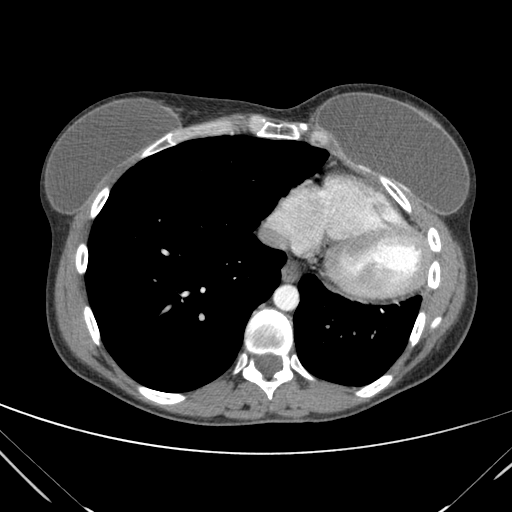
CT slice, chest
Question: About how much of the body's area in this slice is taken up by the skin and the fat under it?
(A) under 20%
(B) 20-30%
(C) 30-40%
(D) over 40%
Answer: (A) under 20%
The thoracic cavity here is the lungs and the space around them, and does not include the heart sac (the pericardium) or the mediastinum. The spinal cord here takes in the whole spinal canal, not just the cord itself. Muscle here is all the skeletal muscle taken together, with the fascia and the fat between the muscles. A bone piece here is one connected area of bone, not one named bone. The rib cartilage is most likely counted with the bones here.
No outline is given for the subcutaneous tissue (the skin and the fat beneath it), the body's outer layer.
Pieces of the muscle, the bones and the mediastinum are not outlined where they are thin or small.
Outlined structures:
bones 1: (270, 400) (274, 390) (283, 382) (290, 380) (295, 372) (310, 381) (315, 381) (316, 377) (303, 366) (293, 348) (294, 341) (292, 322) (275, 309) (264, 308) (253, 311) (247, 322) (244, 331) (242, 350) (237, 356) (232, 373) (236, 374) (240, 371) (245, 379) (257, 384) with a hole at (266, 378) (270, 378) (271, 376) (276, 371) (279, 370) (281, 368) (282, 366) (282, 363) (281, 362) (281, 359) (279, 356) (276, 356) (271, 353) (267, 353) (266, 354) (263, 354) (259, 356) (256, 356) (256, 359) (255, 360) (255, 365) (256, 367) (263, 374) (264, 377)
bones 2: (141, 159) (165, 148) (173, 146) (184, 140) (187, 140) (191, 138) (221, 135) (222, 134) (232, 135) (235, 133) (235, 127) (232, 122) (229, 120) (218, 119) (213, 121) (208, 121) (195, 125) (187, 126) (183, 128) (175, 129) (146, 147) (142, 151) (140, 155)
bones 3: (291, 140) (300, 140) (301, 139) (303, 134) (308, 130) (308, 126) (305, 122) (275, 123) (268, 120) (265, 117) (260, 116) (257, 114) (251, 114) (248, 116) (245, 121) (246, 128) (252, 134) (258, 137) (264, 137) (272, 139) (290, 139)
bones 4: (159, 404) (174, 404) (175, 403) (180, 402) (185, 399) (185, 396) (182, 393) (163, 392) (162, 391) (159, 391) (158, 390) (152, 389) (149, 387) (144, 386) (139, 383) (137, 383) (136, 384) (136, 388) (137, 390) (142, 395) (143, 395) (148, 399) (152, 401) (154, 401)
bones 5: (408, 213) (410, 213) (411, 212) (412, 210) (412, 206) (409, 200) (405, 195) (405, 194) (393, 182) (384, 177) (382, 177) (379, 175) (377, 175) (377, 178) (379, 182) (383, 186) (385, 190) (392, 197) (392, 198) (393, 198) (400, 205) (400, 206) (406, 212)
bones 6: (360, 397) (370, 397) (371, 396) (373, 396) (376, 393) (377, 393) (379, 391) (380, 391) (382, 389) (386, 387) (393, 378) (393, 374) (392, 373) (389, 373) (387, 372) (377, 379) (376, 379) (374, 381) (373, 381) (371, 383) (360, 387) (355, 392) (355, 394)
bones 7: (97, 345) (99, 345) (101, 343) (101, 340) (100, 339) (100, 334) (99, 333) (99, 329) (97, 326) (96, 320) (94, 317) (93, 312) (89, 304) (85, 304) (83, 308) (83, 315) (84, 316) (84, 319) (85, 320) (87, 328) (89, 331) (90, 336) (93, 342)
bones 8: (411, 346) (414, 346) (418, 342) (425, 324) (425, 318) (426, 317) (426, 314) (425, 313) (425, 311) (423, 309) (420, 309) (419, 310) (417, 314) (417, 316) (415, 319) (413, 327) (411, 330) (409, 338) (408, 339) (408, 343)
bones 9: (91, 219) (94, 219) (94, 218) (100, 211) (101, 208) (103, 206) (104, 203) (106, 201) (109, 195) (109, 192) (111, 188) (111, 186) (110, 185) (105, 185) (97, 193) (91, 205) (91, 207) (90, 208) (90, 214) (89, 215) (89, 217)
bones 10: (80, 274) (84, 274) (86, 270) (86, 268) (87, 267) (87, 256) (88, 255) (88, 249) (87, 248) (87, 244) (83, 241) (79, 243) (77, 247) (77, 249) (76, 250) (76, 253) (75, 254) (75, 265) (76, 266) (76, 269) (77, 271)
bones 11: (433, 289) (434, 289) (435, 288) (436, 288) (439, 285) (439, 284) (440, 283) (440, 265) (439, 264) (439, 262) (436, 259) (433, 259) (432, 260) (432, 261) (430, 263) (430, 265) (429, 266) (429, 268) (428, 269) (428, 272) (427, 273) (427, 285) (430, 288) (432, 288)
bones 12: (319, 147) (324, 147) (329, 143) (329, 142) (331, 139) (331, 138) (328, 135) (328, 134) (325, 131) (324, 131) (323, 130) (315, 130) (314, 131) (312, 131) (310, 133) (310, 135) (309, 136) (309, 138) (307, 141) (310, 144) (311, 144) (314, 146) (318, 146)
bones 13: (433, 252) (439, 252) (439, 251) (441, 249) (441, 242) (440, 241) (440, 239) (439, 238) (439, 234) (438, 233) (436, 228) (432, 225) (430, 225) (427, 229) (427, 232) (426, 233) (426, 235) (427, 236) (427, 241) (428, 242) (428, 244) (430, 247) (430, 250)
thoracic cavity 1: (173, 392) (199, 387) (233, 365) (246, 322) (279, 283) (286, 258) (283, 251) (263, 245) (252, 232) (292, 185) (320, 169) (328, 156) (326, 149) (306, 141) (247, 134) (196, 138) (140, 160) (111, 189) (88, 241) (85, 281) (89, 302) (101, 339) (117, 363) (136, 381)
thoracic cavity 2: (356, 386) (369, 383) (386, 372) (402, 352) (419, 309) (421, 297) (417, 294) (406, 300) (380, 306) (377, 304) (366, 304) (364, 302) (352, 301) (332, 292) (315, 276) (310, 274) (305, 275) (299, 283) (301, 299) (293, 317) (294, 348) (304, 366) (315, 376) (345, 385)
pericardium: (365, 302) (397, 301) (415, 293) (426, 277) (429, 265) (429, 247) (425, 232) (419, 224) (373, 180) (351, 168) (338, 167) (332, 163) (327, 166) (323, 174) (292, 186) (287, 195) (280, 198) (267, 220) (284, 248) (309, 263) (319, 263) (324, 275) (344, 295)
torso: (214, 428) (347, 419) (425, 381) (460, 347) (478, 294) (470, 229) (476, 173) (461, 134) (427, 101) (406, 90) (370, 82) (334, 85) (285, 108) (135, 90) (88, 105) (54, 138) (42, 164) (39, 198) (51, 231) (45, 316) (55, 351) (76, 375) (138, 411) (174, 423)
mediastinum 1: (292, 321) (293, 314) (300, 299) (298, 283) (305, 274) (310, 273) (315, 275) (328, 289) (347, 297) (323, 275) (319, 264) (309, 264) (284, 249) (265, 218) (253, 233) (263, 244) (283, 250) (287, 258) (281, 268) (280, 283) (272, 294) (254, 310) (264, 307) (275, 308)
mediastinum 2: (310, 177) (315, 177) (316, 175) (319, 175) (323, 173) (326, 166) (329, 163) (332, 162) (335, 163) (338, 166) (341, 166) (346, 168) (347, 167) (342, 164) (339, 160) (333, 156) (329, 150) (327, 149) (329, 151) (329, 156) (327, 158) (325, 163) (318, 172) (313, 176)
spinal cord: (266, 378) (270, 378) (271, 376) (276, 371) (279, 370) (281, 368) (282, 366) (282, 363) (281, 362) (281, 359) (279, 356) (276, 356) (271, 353) (267, 353) (266, 354) (263, 354) (259, 356) (256, 356) (256, 359) (255, 360) (255, 365) (256, 367) (263, 374) (264, 377)
muscle 1: (241, 419) (343, 411) (367, 402) (394, 386) (439, 346) (458, 319) (466, 293) (461, 246) (439, 213) (391, 180) (410, 200) (411, 215) (424, 231) (432, 224) (440, 234) (442, 249) (430, 251) (430, 262) (440, 262) (441, 283) (433, 290) (426, 278) (416, 292) (427, 314) (420, 340) (414, 347) (406, 345) (388, 371) (394, 378) (386, 388) (373, 397) (360, 398) (356, 396) (359, 387) (318, 378) (310, 382) (295, 373) (270, 401) (240, 372) (233, 375) (231, 367) (183, 393) (184, 401) (159, 405) (136, 390) (137, 382) (102, 342) (92, 342) (82, 315) (89, 303) (84, 275) (74, 265) (78, 243) (88, 240) (96, 193) (105, 184) (112, 187) (140, 159) (141, 150) (104, 176) (70, 221) (54, 286) (60, 334) (80, 362) (143, 402) (182, 415) with a hole at (431, 328) (435, 328) (440, 323) (440, 322) (441, 321) (441, 317) (440, 316) (437, 316) (436, 317) (435, 317) (433, 319) (433, 320) (431, 322) (431, 323) (430, 324) (430, 327)
muscle 2: (236, 133) (250, 133) (245, 128) (244, 121) (248, 115) (251, 113) (256, 113) (252, 113) (251, 112) (238, 112) (231, 114) (224, 114) (223, 115) (212, 117) (197, 123) (188, 125) (195, 124) (208, 120) (213, 120) (218, 118) (229, 119) (233, 122) (236, 127)
muscle 3: (382, 188) (383, 188) (382, 186) (378, 182) (376, 178) (376, 174) (367, 171) (354, 164) (350, 163) (343, 156) (332, 140) (325, 147) (329, 149) (332, 154) (339, 159) (342, 163) (348, 167) (351, 167) (352, 169) (355, 169) (357, 171) (367, 175) (368, 177) (373, 179)
muscle 4: (303, 140) (307, 140) (307, 139) (308, 138) (308, 136) (309, 135) (309, 133) (312, 130) (314, 130) (315, 129) (321, 129) (319, 127) (318, 127) (315, 125) (313, 125) (308, 122) (306, 122) (309, 126) (309, 130) (305, 134) (304, 134) (304, 135) (302, 138) (302, 139)
breast implant 1: (445, 213) (448, 213) (455, 209) (463, 200) (467, 191) (468, 179) (467, 169) (457, 147) (433, 122) (400, 102) (370, 94) (344, 94) (328, 100) (322, 106) (317, 115) (317, 124) (329, 134) (341, 152) (350, 162) (367, 170) (395, 180) (410, 190) (419, 199) (436, 211)
breast implant 2: (68, 213) (82, 208) (95, 190) (104, 175) (131, 155) (178, 127) (180, 124) (176, 116) (162, 105) (147, 99) (144, 98) (126, 98) (115, 102) (112, 102) (105, 106) (96, 109) (72, 125) (61, 137) (55, 146) (46, 168) (46, 191) (50, 201) (57, 210) (60, 210)